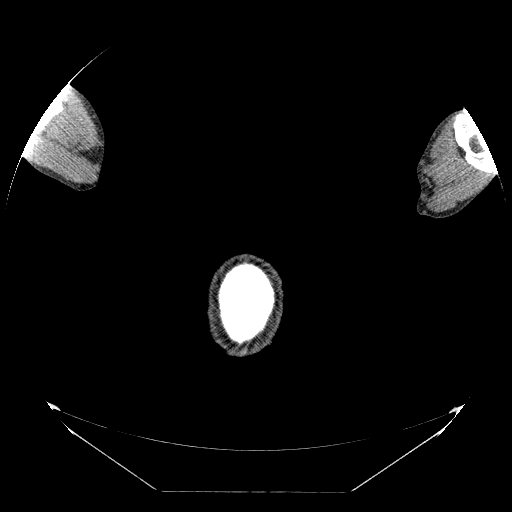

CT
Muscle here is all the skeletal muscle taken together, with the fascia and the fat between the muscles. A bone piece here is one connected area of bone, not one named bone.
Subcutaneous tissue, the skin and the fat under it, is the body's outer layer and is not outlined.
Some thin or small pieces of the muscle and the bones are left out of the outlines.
{"left_arm":[[[461,106],[471,116],[483,136],[494,160],[498,177],[494,177],[487,187],[469,204],[461,211],[451,216],[443,218],[433,218],[429,216],[421,215],[416,210],[416,202],[420,193],[420,185],[416,175],[417,163],[431,133],[437,124],[448,113],[459,109]]],"head_and_neck":[[[243,253],[250,253],[263,258],[278,271],[282,280],[283,313],[281,317],[280,326],[273,339],[273,343],[259,353],[248,357],[240,358],[226,355],[220,347],[212,340],[208,332],[206,309],[207,308],[208,286],[214,271],[220,264],[228,258],[234,255]]],"right_arm":[[[68,82],[82,92],[91,102],[101,121],[105,136],[105,148],[104,149],[104,158],[103,159],[101,176],[98,184],[96,186],[87,190],[81,190],[80,191],[79,190],[75,190],[37,171],[21,155],[22,151],[32,131],[34,129],[42,114],[57,94]]],"bones":[[[242,260],[252,261],[259,264],[269,275],[276,292],[276,303],[265,329],[252,341],[249,343],[246,342],[244,344],[247,345],[247,349],[245,351],[242,350],[241,346],[231,342],[225,335],[219,321],[217,302],[215,298],[219,281],[224,272],[235,262]],[[463,108],[468,112],[473,119],[488,146],[488,148],[494,160],[497,170],[497,174],[494,176],[492,176],[490,173],[487,173],[484,171],[479,170],[470,165],[466,161],[464,157],[464,152],[463,150],[457,144],[455,140],[452,123],[454,116]],[[60,91],[60,93],[61,94],[61,96],[63,100],[63,108],[64,109],[61,112],[60,114],[59,114],[54,118],[51,118],[50,119],[47,119],[46,120],[42,118],[41,117],[42,114],[48,107],[48,106],[53,100],[53,99]]],"muscle":[[[66,85],[74,90],[83,100],[97,128],[97,133],[99,137],[99,146],[95,162],[96,165],[93,170],[91,180],[87,182],[80,183],[68,180],[53,171],[39,165],[28,155],[24,148],[40,118],[46,121],[54,119],[60,115],[65,109],[61,90]],[[453,115],[451,127],[453,131],[454,140],[462,150],[465,161],[473,168],[490,174],[491,177],[481,189],[460,202],[454,208],[443,212],[433,212],[426,208],[423,202],[425,188],[422,179],[422,167],[428,158],[428,154],[433,142],[440,133],[443,126]],[[243,256],[252,256],[267,264],[277,274],[281,286],[281,315],[279,321],[269,339],[258,347],[253,347],[252,343],[248,345],[245,344],[249,344],[252,342],[266,329],[277,303],[277,292],[274,282],[270,275],[259,263],[247,259],[236,261],[238,257]],[[232,260],[234,262],[223,272],[222,276],[219,279],[214,295],[217,308],[217,317],[219,324],[223,331],[223,333],[220,333],[217,335],[215,334],[213,330],[209,315],[209,307],[210,306],[210,298],[211,297],[211,286],[217,272],[226,263]]]}